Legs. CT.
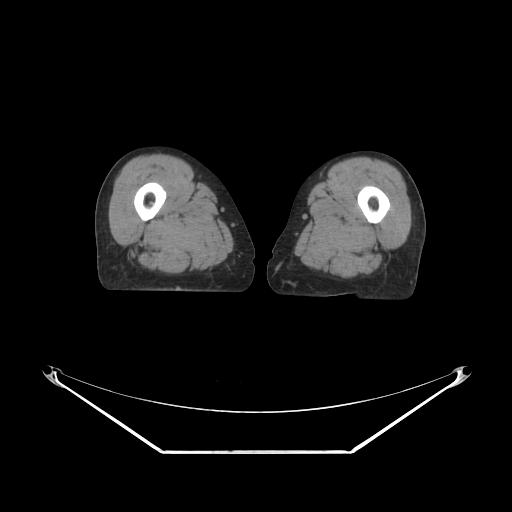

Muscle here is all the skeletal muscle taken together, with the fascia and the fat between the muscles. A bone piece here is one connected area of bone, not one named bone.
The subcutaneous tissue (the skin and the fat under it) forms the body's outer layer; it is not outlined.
Outlines (x, y in pixels):
left leg: [[359,149],[381,151],[400,161],[410,173],[421,196],[426,218],[426,238],[413,294],[409,299],[404,301],[361,300],[350,295],[314,298],[276,294],[268,285],[266,264],[271,256],[272,247],[287,222],[292,202],[299,187],[307,176],[326,160],[338,154]]
bones 1: [[149,181],[156,181],[158,182],[166,191],[166,198],[161,208],[156,214],[156,215],[153,218],[147,221],[142,221],[139,218],[139,217],[137,215],[135,211],[135,209],[133,205],[133,198],[134,197],[134,195],[137,189],[143,184]]
bones 2: [[364,185],[374,185],[378,187],[387,195],[389,199],[389,201],[390,202],[390,208],[387,212],[386,215],[380,222],[376,224],[370,223],[367,221],[366,218],[364,216],[363,213],[361,211],[360,208],[357,204],[357,194],[361,187],[362,187]]
muscle 1: [[154,152],[175,155],[185,160],[219,198],[226,220],[225,224],[232,237],[233,248],[227,258],[218,266],[207,271],[189,275],[156,273],[142,267],[131,265],[126,258],[125,252],[114,243],[109,231],[107,216],[114,179],[123,165],[131,158],[140,154]]; inner edge: [[149,181],[156,181],[158,182],[166,191],[166,198],[161,208],[156,214],[156,215],[153,218],[147,221],[142,221],[139,218],[139,217],[137,215],[135,211],[135,209],[133,205],[133,198],[134,197],[134,195],[137,189],[143,184]]
muscle 2: [[362,155],[385,160],[401,173],[410,200],[412,225],[407,240],[401,247],[392,252],[392,257],[382,270],[372,276],[358,278],[353,281],[342,281],[330,278],[303,266],[294,253],[294,247],[298,225],[306,206],[308,194],[320,174],[335,162],[348,157]] with a hole at [[364,185],[374,185],[378,187],[387,195],[389,199],[389,201],[390,202],[390,208],[387,212],[386,215],[380,222],[376,224],[370,223],[367,221],[366,218],[364,216],[363,213],[361,211],[360,208],[357,204],[357,194],[361,187],[362,187]]
right leg: [[146,145],[168,145],[186,151],[208,167],[226,187],[246,224],[255,248],[255,257],[253,260],[255,273],[251,284],[245,291],[241,293],[139,292],[108,291],[102,287],[98,280],[96,268],[96,246],[94,236],[96,198],[107,172],[115,161],[128,151]]